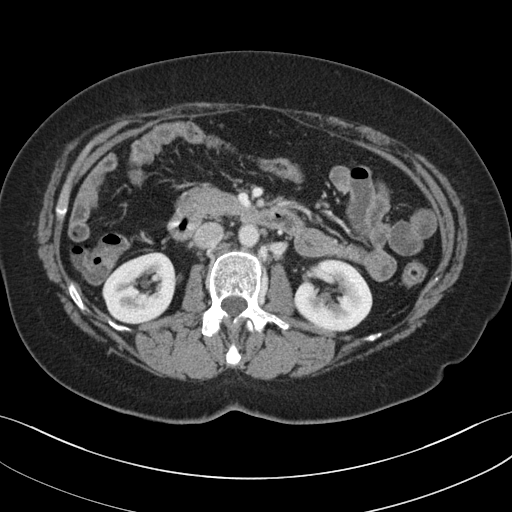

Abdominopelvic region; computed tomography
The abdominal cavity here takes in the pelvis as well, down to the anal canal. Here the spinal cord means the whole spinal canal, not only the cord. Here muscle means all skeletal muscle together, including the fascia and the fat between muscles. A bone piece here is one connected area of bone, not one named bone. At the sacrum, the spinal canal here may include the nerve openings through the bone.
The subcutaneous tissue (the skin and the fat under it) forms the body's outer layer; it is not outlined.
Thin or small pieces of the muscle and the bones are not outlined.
bones 1: (233, 250) (259, 256) (262, 263) (261, 289) (256, 293) (256, 300) (265, 311) (287, 322) (287, 329) (283, 330) (273, 322) (268, 322) (261, 333) (250, 332) (242, 323) (236, 331) (222, 324) (210, 336) (202, 333) (202, 313) (211, 304) (205, 286) (206, 276) (218, 256); inner edge: (229, 296) (237, 296) (238, 297) (241, 297) (242, 298) (243, 298) (246, 301) (246, 303) (247, 304) (246, 305) (246, 307) (243, 310) (242, 310) (238, 314) (237, 314) (235, 316) (233, 316) (232, 317) (224, 309) (223, 309) (221, 306) (222, 301) (225, 298) (226, 298)
bones 2: (69, 179) (70, 179) (70, 182) (69, 183) (69, 195) (68, 196) (68, 199) (67, 200) (67, 210) (65, 213) (65, 215) (63, 218) (63, 220) (61, 222) (59, 222) (56, 219) (56, 215) (55, 214) (55, 206) (59, 198) (59, 196) (64, 187) (64, 185)
bones 3: (69, 280) (72, 280) (75, 283) (75, 285) (76, 286) (76, 289) (79, 293) (79, 295) (80, 296) (84, 305) (86, 307) (86, 309) (84, 312) (83, 312) (80, 310) (80, 309) (72, 300) (72, 299) (69, 294) (69, 291) (68, 290) (68, 282) (69, 281)
bones 4: (232, 342) (233, 342) (235, 344) (235, 345) (236, 346) (236, 347) (237, 348) (237, 349) (238, 350) (238, 351) (241, 356) (240, 357) (240, 359) (237, 364) (236, 364) (235, 365) (228, 365) (226, 363) (226, 353) (228, 350) (228, 348) (229, 347) (229, 345)
bones 5: (108, 318) (111, 319) (116, 323) (117, 323) (118, 324) (120, 324) (123, 326) (128, 327) (129, 328) (130, 328) (132, 330) (130, 332) (129, 332) (128, 331) (119, 331) (118, 330) (116, 330) (114, 328) (113, 328) (108, 323) (108, 321) (107, 320) (108, 319)
torso: (240, 49) (321, 57) (392, 80) (446, 114) (491, 174) (511, 231) (511, 285) (469, 355) (448, 366) (429, 391) (330, 423) (286, 424) (232, 410) (204, 423) (170, 424) (120, 413) (73, 393) (22, 343) (0, 275) (0, 189) (20, 148) (62, 103) (109, 75) (179, 56)
muscle: (185, 102) (239, 102) (247, 104) (261, 104) (264, 103) (267, 105) (275, 106) (276, 107) (291, 108) (292, 109) (317, 112) (324, 115) (335, 116) (344, 120) (353, 121) (360, 124) (370, 126) (372, 128) (378, 130) (414, 148) (439, 168) (438, 169) (447, 178) (456, 192) (463, 207) (464, 214) (466, 218) (466, 224) (467, 225) (467, 247) (463, 261) (463, 266) (459, 274) (460, 276) (421, 326) (408, 336) (405, 338) (403, 338) (392, 346) (377, 353) (375, 353) (358, 361) (334, 369) (331, 369) (316, 376) (310, 376) (303, 378) (293, 378) (286, 380) (282, 379) (281, 380) (261, 381) (253, 378) (250, 378) (240, 371) (234, 369) (227, 369) (217, 376) (203, 381) (198, 381) (197, 380) (194, 381) (192, 380) (183, 381) (169, 377) (159, 377) (129, 362) (127, 362) (106, 352) (65, 315) (57, 299) (55, 297) (45, 276) (45, 274) (39, 263) (34, 227) (42, 203) (44, 193) (47, 188) (49, 179) (55, 166) (56, 161) (75, 134) (78, 132) (99, 120) (111, 118) (120, 115) (124, 115) (137, 111) (146, 110) (147, 109) (153, 109) (154, 108) (171, 106) (178, 103) (184, 103) with holes at (246, 108) (280, 112) (380, 155) (413, 181) (437, 213) (440, 261) (406, 315) (375, 340) (301, 319) (279, 262) (270, 266) (260, 306) (287, 322) (284, 330) (273, 322) (261, 333) (250, 332) (244, 323) (236, 331) (222, 324) (216, 333) (204, 335) (202, 313) (211, 298) (201, 263) (191, 266) (179, 309) (130, 332) (113, 328) (77, 283) (86, 309) (72, 300) (71, 278) (60, 255) (63, 222) (55, 214) (67, 181) (70, 194) (103, 154) (160, 120) and at (232, 342) (233, 342) (235, 344) (235, 345) (236, 346) (236, 347) (237, 348) (237, 349) (238, 350) (238, 351) (241, 356) (240, 357) (240, 359) (237, 364) (236, 364) (235, 365) (228, 365) (226, 363) (226, 353) (228, 350) (228, 348) (229, 347) (229, 345)
spinal cord: (229, 296) (237, 296) (238, 297) (241, 297) (242, 298) (243, 298) (246, 301) (246, 303) (247, 304) (246, 305) (246, 307) (243, 310) (242, 310) (238, 314) (237, 314) (235, 316) (233, 316) (232, 317) (224, 309) (223, 309) (221, 306) (222, 301) (225, 298) (226, 298)
abdominal cavity: (246, 108) (280, 112) (366, 148) (427, 198) (442, 254) (402, 319) (364, 336) (303, 320) (279, 262) (270, 266) (260, 304) (262, 260) (240, 249) (218, 255) (204, 284) (202, 264) (194, 263) (180, 308) (132, 329) (68, 275) (60, 242) (70, 194) (103, 154) (160, 120)